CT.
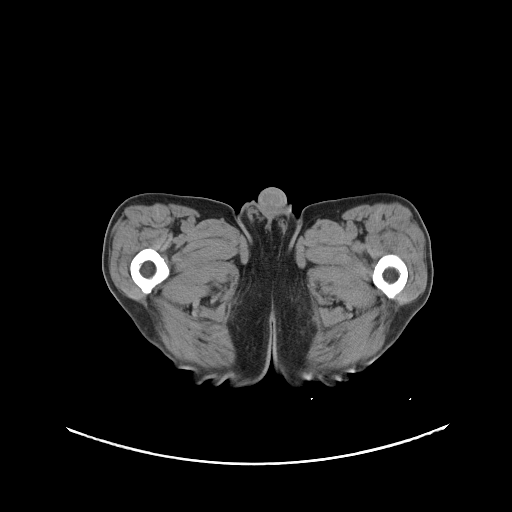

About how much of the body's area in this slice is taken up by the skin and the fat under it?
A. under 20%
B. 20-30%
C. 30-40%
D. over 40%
Answer: C. 30-40%
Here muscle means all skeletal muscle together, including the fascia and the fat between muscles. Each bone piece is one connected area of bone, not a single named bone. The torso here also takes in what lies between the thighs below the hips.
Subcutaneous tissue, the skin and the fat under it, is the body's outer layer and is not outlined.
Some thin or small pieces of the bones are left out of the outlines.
The bones appear in 2 outlined pieces: piece 1: 144 248; 152 248; 157 251; 164 259; 169 268; 169 275; 163 281; 157 284; 151 290; 151 291; 147 294; 144 293; 134 282; 134 281; 132 279; 132 277; 130 273; 130 269; 129 268; 130 267; 130 263; 131 262; 132 258; 140 250; piece 2: 386 254; 395 254; 397 255; 405 263; 407 267; 407 271; 408 272; 407 280; 404 287; 397 294; 395 295; 393 299; 391 299; 387 297; 387 296; 380 289; 379 289; 373 283; 372 281; 372 273; 376 263; 383 255; 385 255. The left leg is outlined by 374 192; 401 195; 418 210; 431 241; 433 283; 429 297; 397 340; 366 369; 351 373; 348 381; 340 381; 336 386; 330 387; 308 380; 303 387; 292 387; 276 375; 273 368; 273 320; 275 269; 293 238; 297 216; 305 206; 314 202. The torso is outlined by 266 187; 277 187; 281 189; 285 193; 288 201; 292 206; 292 211; 296 215; 296 226; 292 238; 290 240; 284 253; 275 268; 274 268; 274 266; 272 263; 257 246; 241 225; 237 214; 237 212; 246 201; 255 200; 257 198; 259 192. The right leg is outlined by 144 192; 201 196; 230 205; 236 211; 240 225; 273 266; 272 364; 269 364; 263 378; 254 385; 230 388; 227 381; 216 386; 210 385; 208 380; 199 384; 192 383; 191 372; 175 368; 141 334; 108 289; 101 265; 107 224; 123 200. The muscle appears in 2 outlined pieces: piece 1: 141 200; 179 204; 193 208; 206 216; 223 218; 237 228; 244 237; 249 254; 245 263; 243 281; 227 322; 236 352; 235 363; 229 367; 205 368; 177 357; 160 339; 142 306; 124 295; 114 284; 109 271; 110 233; 122 211; 129 204, around a hole outlined by 144 248; 152 248; 157 251; 164 259; 169 268; 169 275; 163 281; 157 284; 151 290; 151 291; 147 294; 144 293; 134 282; 134 281; 132 279; 132 277; 130 273; 130 269; 129 268; 130 267; 130 263; 131 262; 132 258; 140 250; piece 2: 381 201; 399 202; 406 206; 421 229; 425 239; 424 259; 427 266; 425 289; 415 300; 400 309; 382 345; 375 353; 346 367; 322 369; 317 372; 308 370; 305 367; 306 355; 316 327; 312 319; 305 274; 295 259; 299 234; 324 214 with a hole at 386 254; 395 254; 397 255; 405 263; 407 267; 407 271; 408 272; 407 280; 404 287; 397 294; 395 295; 393 299; 391 299; 387 297; 387 296; 380 289; 379 289; 373 283; 372 281; 372 273; 376 263; 383 255; 385 255.